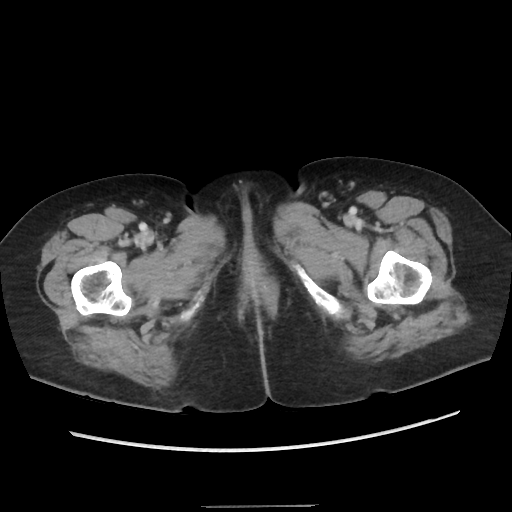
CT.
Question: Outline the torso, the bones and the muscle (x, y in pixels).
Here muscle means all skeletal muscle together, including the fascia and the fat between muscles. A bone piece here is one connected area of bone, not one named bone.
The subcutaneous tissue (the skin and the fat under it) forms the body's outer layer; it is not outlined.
Answer: {"torso":[[[334,156],[383,158],[445,175],[510,232],[508,297],[487,361],[359,402],[290,408],[268,399],[255,409],[230,413],[125,406],[30,377],[4,303],[0,240],[36,203],[77,184],[128,173],[169,176],[191,191],[224,172],[254,167],[292,180],[307,163]]],"bones":[[[106,260],[111,260],[120,267],[122,273],[121,278],[122,288],[125,293],[132,298],[132,305],[127,314],[124,316],[116,316],[103,313],[94,313],[86,316],[82,315],[76,309],[75,303],[71,294],[70,289],[71,277],[80,268],[88,265],[93,265]],[[388,250],[395,250],[406,258],[408,258],[414,261],[421,262],[426,265],[430,269],[432,273],[432,283],[421,302],[417,304],[387,304],[384,303],[378,305],[371,301],[367,297],[365,287],[368,283],[376,277],[378,273],[378,269],[381,259],[384,254]],[[296,263],[300,264],[305,270],[307,274],[320,287],[323,288],[329,293],[334,295],[339,300],[339,302],[340,303],[340,308],[338,312],[334,313],[333,314],[329,314],[315,302],[314,299],[304,286],[296,270],[293,267],[293,265]],[[200,294],[203,294],[204,295],[204,300],[200,304],[200,306],[197,309],[197,310],[195,312],[194,315],[188,320],[181,320],[179,318],[179,315],[180,314],[180,313],[184,309],[187,308],[190,305],[191,305],[195,301],[195,300],[197,298],[197,297]]],"muscle":[{"outer":[[102,203],[115,203],[163,224],[194,214],[210,214],[223,225],[226,232],[228,254],[225,265],[209,297],[177,341],[179,371],[170,387],[159,389],[145,386],[120,374],[75,361],[62,335],[56,314],[42,301],[38,293],[37,265],[43,245],[73,215]],"holes":[[[106,260],[111,260],[120,267],[122,273],[121,278],[122,288],[125,293],[132,298],[132,305],[127,314],[124,316],[116,316],[103,313],[94,313],[86,316],[82,315],[76,309],[75,303],[71,294],[70,289],[71,277],[80,268],[88,265],[93,265]],[[200,294],[203,294],[204,295],[204,300],[200,304],[200,306],[197,309],[197,310],[195,312],[194,315],[188,320],[181,320],[179,318],[179,315],[180,314],[180,313],[184,309],[187,308],[190,305],[191,305],[195,301],[195,300],[197,298],[197,297]]]},{"outer":[[371,189],[410,194],[446,212],[452,228],[456,268],[452,284],[464,296],[470,320],[464,329],[401,356],[377,363],[359,363],[338,349],[336,332],[315,311],[292,273],[277,257],[273,248],[273,213],[279,203],[294,201],[308,203],[319,210],[332,210]],"holes":[[[388,250],[395,250],[406,258],[408,258],[414,261],[421,262],[426,265],[430,269],[432,273],[432,283],[421,302],[417,304],[387,304],[384,303],[378,305],[371,301],[367,297],[365,287],[368,283],[376,277],[378,273],[378,269],[381,259],[384,254]],[[296,263],[300,264],[305,270],[307,274],[320,287],[323,288],[329,293],[334,295],[339,300],[339,302],[340,303],[340,308],[338,312],[334,313],[333,314],[329,314],[315,302],[314,299],[304,286],[296,270],[293,267],[293,265]]]},[[261,279],[270,279],[276,281],[279,285],[280,304],[277,310],[278,311],[278,315],[275,318],[270,319],[264,316],[260,312],[255,312],[252,313],[247,318],[245,322],[241,325],[239,323],[235,314],[236,294],[238,290],[238,287],[242,281],[253,281]]]}